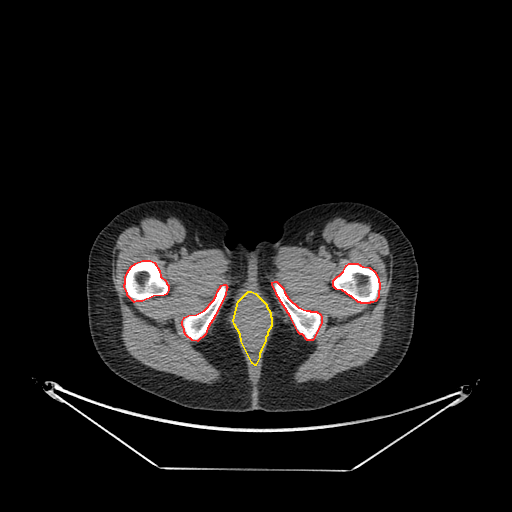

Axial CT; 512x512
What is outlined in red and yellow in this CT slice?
red: bones; yellow: abdominal cavity.
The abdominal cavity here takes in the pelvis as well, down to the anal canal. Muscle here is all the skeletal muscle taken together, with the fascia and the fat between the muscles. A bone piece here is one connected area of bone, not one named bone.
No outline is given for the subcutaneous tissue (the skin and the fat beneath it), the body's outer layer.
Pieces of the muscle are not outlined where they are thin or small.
{"bones":[[[142,260],[150,260],[154,262],[159,270],[160,276],[165,280],[166,283],[168,285],[168,290],[166,294],[164,295],[153,296],[142,301],[136,301],[134,302],[127,295],[127,293],[124,286],[124,284],[125,283],[125,277],[127,272],[131,266],[135,263]],[[349,263],[357,263],[362,266],[369,267],[374,271],[378,278],[378,281],[379,282],[378,297],[375,301],[373,302],[370,302],[369,303],[361,303],[360,302],[358,302],[351,296],[350,296],[342,290],[336,289],[333,286],[333,280],[343,271],[346,265]],[[274,281],[276,281],[283,288],[284,292],[288,298],[298,307],[306,310],[309,310],[310,311],[316,311],[320,314],[321,316],[321,323],[312,340],[307,340],[302,334],[300,334],[298,332],[290,316],[276,294],[276,292],[272,285],[272,282]],[[223,284],[225,284],[227,287],[226,288],[225,294],[215,315],[207,328],[205,334],[197,341],[192,340],[186,335],[184,332],[184,329],[182,324],[182,321],[184,317],[188,315],[196,314],[204,310],[213,300],[216,295],[217,291],[221,285]]],"abdominal_cavity":[[[248,291],[251,291],[255,293],[266,304],[266,306],[270,312],[270,316],[271,317],[271,326],[267,332],[267,335],[265,337],[265,341],[261,348],[261,350],[259,353],[259,357],[255,365],[252,363],[241,341],[240,334],[234,324],[233,320],[238,301]]],"muscle":[{"outer":[[154,216],[179,219],[186,229],[185,242],[190,251],[216,248],[230,260],[232,281],[227,297],[210,333],[194,345],[210,364],[221,371],[221,381],[214,384],[187,380],[156,370],[135,359],[124,347],[121,312],[111,278],[113,248],[123,230],[145,217]],"holes":[[[142,260],[150,260],[154,262],[159,270],[160,276],[165,280],[166,283],[168,285],[168,290],[166,294],[164,295],[153,296],[142,301],[136,301],[134,302],[127,295],[127,293],[124,286],[124,284],[125,283],[125,277],[127,272],[131,266],[135,263]],[[223,284],[225,284],[227,287],[226,288],[225,294],[215,315],[207,328],[205,334],[197,341],[192,340],[186,335],[184,332],[184,329],[182,324],[182,321],[184,317],[188,315],[196,314],[204,310],[213,300],[216,295],[217,291],[221,285]]]},{"outer":[[336,217],[370,224],[390,246],[392,284],[383,337],[378,351],[364,365],[324,382],[297,385],[292,375],[311,352],[300,335],[312,341],[322,316],[298,306],[274,280],[271,282],[271,285],[295,327],[294,330],[276,300],[268,278],[268,274],[275,269],[280,247],[318,249],[324,226]],"hole":[[349,263],[357,263],[362,266],[369,267],[374,271],[378,278],[378,281],[379,282],[378,297],[375,301],[373,302],[370,302],[369,303],[361,303],[360,302],[358,302],[351,296],[350,296],[342,290],[336,289],[333,286],[333,280],[343,271],[346,265]]},{"outer":[[252,274],[258,289],[270,305],[273,312],[274,321],[272,334],[267,342],[266,349],[262,356],[259,379],[254,384],[250,377],[247,362],[245,360],[241,348],[238,344],[237,334],[233,330],[230,323],[227,320],[228,314],[234,304],[235,297],[247,279]],"hole":[[248,291],[251,291],[255,293],[266,304],[266,306],[270,312],[270,316],[271,317],[271,326],[267,332],[267,335],[265,337],[265,341],[261,348],[261,350],[259,353],[259,357],[255,365],[252,363],[241,341],[240,334],[234,324],[233,320],[238,301]]}],"torso":[[[155,199],[181,200],[219,215],[229,226],[230,248],[237,241],[247,247],[276,241],[286,219],[324,202],[356,201],[386,213],[410,240],[419,270],[412,338],[398,367],[355,397],[277,413],[190,409],[118,377],[98,355],[89,331],[88,254],[117,213]]]}